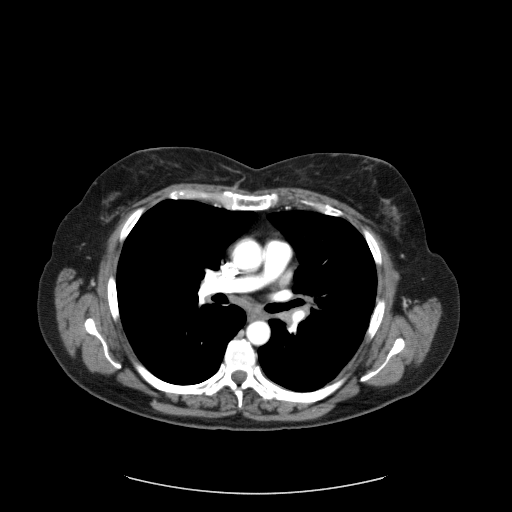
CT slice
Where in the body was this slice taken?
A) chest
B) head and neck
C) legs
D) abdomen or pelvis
Answer: A) chest
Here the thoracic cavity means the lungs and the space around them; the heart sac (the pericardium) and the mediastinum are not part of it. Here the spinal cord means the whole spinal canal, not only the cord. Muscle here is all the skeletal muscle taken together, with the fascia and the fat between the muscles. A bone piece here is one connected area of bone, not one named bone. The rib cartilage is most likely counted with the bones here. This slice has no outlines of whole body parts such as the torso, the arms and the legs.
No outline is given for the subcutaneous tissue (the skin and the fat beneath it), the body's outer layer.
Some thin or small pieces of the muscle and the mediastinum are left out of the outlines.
{"spinal_cord":[[[238,370],[240,370],[241,371],[243,371],[246,374],[246,376],[245,377],[245,379],[242,382],[241,382],[240,383],[237,383],[236,382],[235,382],[233,380],[233,379],[232,378],[232,374],[234,372],[235,372],[236,371],[237,371]]],"bones":[{"outer":[[234,337],[250,344],[257,353],[263,374],[285,389],[311,392],[338,377],[347,374],[348,377],[334,392],[311,403],[267,400],[248,388],[243,392],[240,409],[236,395],[227,386],[212,395],[159,390],[136,371],[132,358],[165,382],[197,384],[218,370]],"hole":[[238,370],[240,370],[241,371],[243,371],[246,374],[246,376],[245,377],[245,379],[242,382],[241,382],[240,383],[237,383],[236,382],[235,382],[233,380],[233,379],[232,378],[232,374],[234,372],[235,372],[236,371],[237,371]]},[[180,189],[195,189],[203,191],[229,190],[244,195],[263,195],[276,192],[283,198],[291,196],[292,199],[284,200],[280,202],[275,207],[263,210],[233,210],[232,209],[227,209],[216,203],[213,204],[211,202],[203,200],[167,198],[167,195],[171,191]],[[376,297],[383,298],[385,301],[385,307],[384,308],[384,311],[383,312],[383,316],[382,317],[381,322],[374,336],[369,341],[364,341],[365,334],[369,326],[369,323],[370,322],[371,315],[373,312],[373,310],[376,304]],[[110,275],[113,275],[115,277],[115,283],[116,284],[117,305],[118,306],[118,310],[119,311],[119,318],[120,319],[119,321],[117,321],[116,322],[114,321],[112,317],[111,312],[109,309],[109,304],[108,303],[108,299],[107,298],[107,281]],[[88,317],[90,317],[94,320],[96,326],[96,329],[100,333],[107,345],[108,353],[110,357],[114,361],[119,363],[121,365],[121,367],[119,369],[112,365],[106,358],[100,340],[96,336],[90,334],[86,331],[84,326],[84,322],[86,318]],[[301,198],[306,198],[313,201],[318,201],[324,204],[329,204],[331,206],[342,211],[344,214],[343,216],[334,216],[333,215],[325,214],[322,212],[317,211],[314,209],[312,209],[308,206],[306,206],[297,202],[296,201],[296,199],[300,199]],[[398,337],[401,337],[404,340],[404,347],[399,352],[391,356],[388,360],[387,363],[376,374],[375,374],[373,376],[363,382],[360,381],[360,378],[363,375],[368,373],[370,371],[375,370],[385,360],[385,358],[388,352],[392,347],[395,339]],[[141,206],[143,206],[145,208],[145,210],[139,217],[139,218],[137,220],[137,221],[135,223],[135,224],[133,226],[133,227],[131,229],[123,242],[120,242],[119,241],[119,234],[120,233],[120,230],[121,229],[122,225],[124,223],[128,216],[135,209]],[[363,227],[365,227],[367,229],[368,229],[373,234],[376,240],[378,242],[379,249],[381,253],[381,264],[378,266],[376,266],[376,264],[374,261],[374,259],[373,258],[372,253],[362,233],[362,228]]],"muscle":[{"outer":[[176,183],[204,183],[205,184],[228,185],[235,186],[251,192],[260,189],[274,187],[298,187],[329,196],[343,202],[355,209],[369,221],[369,224],[371,227],[383,240],[385,246],[391,256],[394,267],[398,271],[399,282],[397,286],[396,298],[393,305],[393,311],[395,313],[398,313],[402,307],[409,303],[409,300],[411,301],[415,299],[419,300],[423,298],[429,298],[434,296],[441,303],[440,319],[438,322],[429,350],[423,360],[417,366],[415,366],[408,373],[405,374],[396,383],[385,386],[365,386],[356,395],[337,403],[327,413],[313,419],[301,421],[280,421],[279,420],[260,421],[248,418],[239,412],[232,415],[222,417],[203,417],[202,416],[167,414],[153,408],[149,403],[149,397],[145,393],[137,389],[123,385],[111,376],[106,376],[96,372],[88,372],[83,370],[69,355],[68,351],[61,339],[58,330],[54,303],[54,288],[57,276],[59,272],[64,267],[72,267],[83,277],[88,285],[95,283],[98,275],[100,262],[105,252],[106,242],[122,215],[136,201],[138,201],[162,188]],"holes":[[[180,189],[276,192],[292,197],[278,207],[310,209],[296,201],[306,198],[329,204],[361,233],[365,227],[373,234],[381,253],[375,268],[376,296],[385,301],[383,316],[374,336],[361,342],[338,374],[348,377],[334,392],[301,403],[267,400],[248,388],[239,409],[227,386],[212,395],[177,394],[153,387],[136,371],[131,359],[138,358],[121,321],[114,321],[109,309],[107,281],[117,273],[123,246],[119,234],[128,216]],[[88,317],[90,317],[94,320],[96,326],[96,329],[100,333],[107,345],[108,353],[110,357],[114,361],[119,363],[121,365],[121,367],[119,369],[112,365],[106,358],[100,340],[96,336],[90,334],[86,331],[84,326],[84,322],[86,318]],[[398,337],[401,337],[404,340],[404,347],[399,352],[391,356],[388,360],[387,363],[376,374],[375,374],[373,376],[363,382],[360,381],[360,378],[363,375],[368,373],[370,371],[375,370],[385,360],[385,358],[388,352],[392,347],[395,339]]]}],"mediastinum":[[[287,204],[305,208],[266,215],[287,241],[274,230],[254,231],[235,241],[225,251],[222,258],[221,266],[221,279],[225,288],[246,303],[264,304],[288,286],[295,253],[295,297],[281,316],[268,320],[270,337],[256,351],[236,336],[246,313],[219,290],[218,271],[220,269],[221,260],[225,250],[256,220],[255,211]]],"thoracic_cavity":[[[165,199],[197,200],[227,210],[254,211],[256,214],[251,225],[224,250],[217,271],[218,290],[229,304],[235,304],[244,311],[245,321],[227,343],[217,370],[208,378],[192,384],[165,381],[143,365],[126,336],[118,305],[116,274],[123,243],[144,212]],[[300,209],[342,217],[354,226],[368,246],[377,279],[375,304],[363,340],[331,382],[311,391],[291,390],[269,379],[258,363],[257,352],[271,337],[269,320],[281,317],[290,301],[296,297],[292,287],[294,272],[299,265],[294,249],[267,215]]],"pericardium":[[[269,231],[276,232],[282,239],[291,246],[294,254],[293,258],[295,261],[295,265],[292,270],[291,277],[287,286],[280,290],[270,300],[264,303],[246,302],[230,292],[224,285],[222,279],[223,258],[226,251],[235,242],[242,237],[254,232],[268,232]]]}